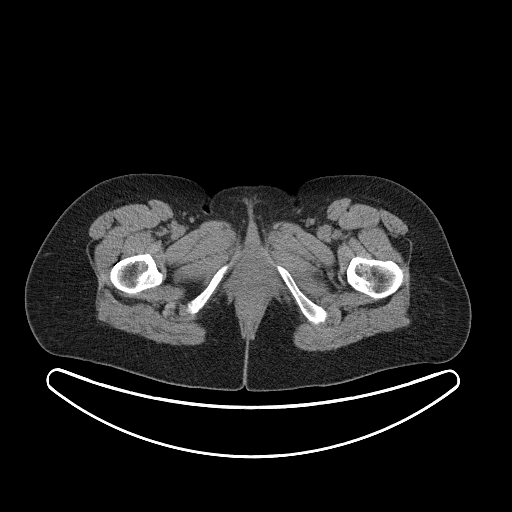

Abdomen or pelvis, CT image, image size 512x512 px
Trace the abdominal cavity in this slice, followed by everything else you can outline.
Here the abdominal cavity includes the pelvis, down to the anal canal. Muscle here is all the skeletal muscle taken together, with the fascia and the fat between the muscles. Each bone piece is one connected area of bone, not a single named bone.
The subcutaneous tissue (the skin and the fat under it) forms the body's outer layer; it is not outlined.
Outlines (x, y in pixels):
abdominal cavity: 249 262; 256 262; 265 268; 266 271; 271 277; 272 287; 271 291; 268 294; 261 308; 261 311; 259 313; 259 315; 257 317; 251 331; 249 333; 247 333; 244 320; 240 310; 239 301; 237 298; 237 292; 235 289; 235 280; 239 269
bones 1: 354 256; 361 256; 366 258; 371 257; 380 260; 392 260; 395 262; 403 271; 403 281; 401 285; 392 294; 389 295; 387 297; 380 298; 379 299; 375 299; 363 292; 354 289; 347 282; 346 279; 346 270; 347 267; 349 264; 350 260
bones 2: 142 253; 148 253; 151 255; 155 261; 157 268; 163 275; 162 282; 157 286; 144 289; 135 294; 128 294; 121 290; 117 289; 113 285; 109 277; 110 270; 113 265; 122 258; 128 256; 131 256; 132 255; 135 255; 136 254; 141 254
bones 3: 276 265; 280 265; 285 268; 292 276; 297 286; 300 289; 300 290; 309 299; 310 299; 316 304; 321 306; 326 310; 327 312; 327 317; 323 322; 320 322; 317 324; 314 324; 307 319; 307 318; 301 311; 289 288; 278 272; 276 268
bones 4: 229 263; 230 263; 229 267; 227 269; 223 277; 216 286; 204 305; 196 313; 194 314; 191 314; 187 312; 186 310; 186 306; 187 305; 187 303; 190 300; 191 300; 198 294; 199 294; 207 286; 210 280; 212 278; 213 275; 219 268
torso: 129 173; 182 176; 210 195; 242 184; 294 192; 308 179; 336 174; 376 175; 400 183; 437 217; 466 286; 471 326; 463 348; 443 363; 276 391; 174 385; 47 352; 35 339; 24 307; 32 261; 55 221; 78 196; 105 179
muscle: 342 197; 371 202; 395 214; 408 227; 411 322; 406 327; 333 350; 302 350; 292 342; 299 314; 280 295; 271 299; 254 338; 247 341; 241 335; 234 304; 224 293; 205 310; 200 321; 207 330; 206 340; 198 345; 157 343; 101 323; 95 317; 97 278; 86 245; 91 223; 107 210; 159 199; 168 203; 188 226; 223 220; 242 241; 260 243; 278 221; 296 223; 311 231; 327 206 with holes at 354 256; 361 256; 366 258; 371 257; 380 260; 392 260; 395 262; 403 271; 403 281; 401 285; 392 294; 389 295; 387 297; 380 298; 379 299; 375 299; 363 292; 354 289; 347 282; 346 279; 346 270; 347 267; 349 264; 350 260 and at 249 262; 256 262; 265 268; 266 271; 271 277; 272 287; 271 291; 268 294; 261 308; 261 311; 259 313; 259 315; 257 317; 251 331; 249 333; 247 333; 244 320; 240 310; 239 301; 237 298; 237 292; 235 289; 235 280; 239 269 and at 142 253; 148 253; 151 255; 155 261; 157 268; 163 275; 162 282; 157 286; 144 289; 135 294; 128 294; 121 290; 117 289; 113 285; 109 277; 110 270; 113 265; 122 258; 128 256; 131 256; 132 255; 135 255; 136 254; 141 254 and at 276 265; 280 265; 285 268; 292 276; 297 286; 300 289; 300 290; 309 299; 310 299; 316 304; 321 306; 326 310; 327 312; 327 317; 323 322; 320 322; 317 324; 314 324; 307 319; 307 318; 301 311; 289 288; 278 272; 276 268 and at 229 263; 230 263; 229 267; 227 269; 223 277; 216 286; 204 305; 196 313; 194 314; 191 314; 187 312; 186 310; 186 306; 187 305; 187 303; 190 300; 191 300; 198 294; 199 294; 207 286; 210 280; 212 278; 213 275; 219 268